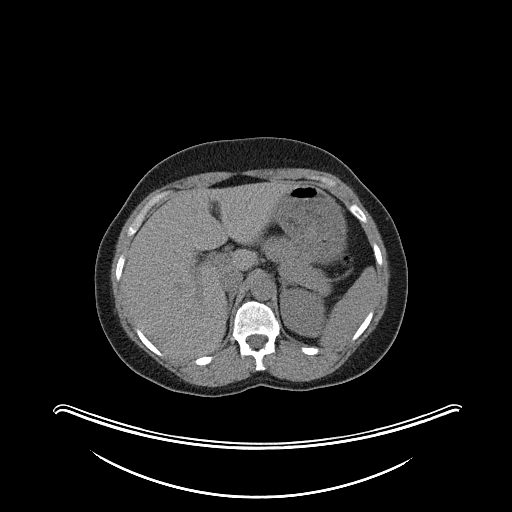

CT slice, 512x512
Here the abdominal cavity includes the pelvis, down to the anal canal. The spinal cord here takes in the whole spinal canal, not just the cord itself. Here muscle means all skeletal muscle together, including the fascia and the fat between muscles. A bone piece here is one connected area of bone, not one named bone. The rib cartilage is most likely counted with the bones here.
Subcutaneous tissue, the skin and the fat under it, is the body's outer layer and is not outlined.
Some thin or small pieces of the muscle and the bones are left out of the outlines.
Outlines (x, y in pixels):
mediastinum: [[258,274],[262,274],[267,278],[269,278],[269,281],[271,282],[271,287],[272,288],[272,301],[273,302],[273,307],[272,308],[271,308],[266,303],[254,299],[246,300],[244,301],[242,304],[240,303],[240,300],[248,286],[248,283],[255,275]]
spinal cord: [[254,334],[258,334],[259,335],[264,335],[266,337],[266,340],[265,341],[265,342],[263,344],[263,346],[262,346],[261,347],[260,347],[259,348],[252,348],[250,346],[250,345],[247,342],[247,337],[248,336],[249,336],[250,335],[253,335]]
muscle: [[284,167],[309,168],[331,173],[355,192],[376,224],[386,250],[389,280],[385,310],[370,334],[337,369],[329,374],[309,381],[292,381],[276,377],[266,371],[259,371],[266,369],[264,356],[276,352],[275,342],[281,331],[301,346],[302,353],[316,355],[320,351],[319,348],[337,346],[350,337],[355,341],[368,327],[378,299],[376,265],[381,266],[383,258],[380,247],[374,241],[370,243],[361,224],[368,221],[365,213],[354,202],[347,206],[328,188],[312,179],[271,179],[237,174],[206,186],[177,189],[169,194],[169,190],[158,192],[143,205],[127,227],[126,235],[132,237],[127,253],[125,255],[122,252],[118,256],[114,271],[115,279],[118,282],[121,278],[125,301],[137,326],[134,329],[138,338],[159,357],[163,357],[165,353],[176,358],[192,358],[198,366],[209,364],[214,357],[212,354],[223,348],[229,340],[235,341],[242,358],[253,357],[254,368],[257,371],[244,379],[221,386],[210,387],[186,382],[131,340],[120,323],[115,309],[110,272],[121,229],[135,207],[149,193],[167,183],[210,171]] with a hole at [[312,176],[324,176],[325,177],[327,177],[330,179],[332,179],[333,180],[334,180],[337,184],[336,185],[336,186],[334,186],[333,187],[332,187],[331,186],[328,186],[325,183],[324,183],[317,179],[313,179],[312,178],[311,178],[311,177]]
abdominal cavity: [[237,175],[312,180],[340,199],[360,222],[376,264],[377,299],[345,341],[318,347],[291,340],[272,309],[272,282],[262,273],[247,283],[233,316],[230,338],[211,355],[170,355],[136,324],[126,301],[122,272],[132,238],[146,216],[177,190],[206,187]]
torso: [[258,136],[295,139],[330,152],[383,204],[397,228],[407,262],[408,291],[401,325],[388,351],[372,368],[340,384],[307,391],[258,386],[218,397],[169,390],[130,369],[116,354],[101,327],[94,295],[94,266],[100,241],[137,182],[164,158],[203,142]]
bones 1: [[249,300],[266,304],[273,311],[280,325],[280,333],[275,338],[274,342],[275,352],[265,354],[262,358],[262,362],[265,367],[264,370],[256,370],[254,357],[252,355],[242,357],[238,343],[235,340],[230,340],[233,332],[233,321],[236,311],[244,302]]; inner edge: [[254,334],[258,334],[259,335],[264,335],[266,337],[266,340],[265,341],[265,342],[263,344],[263,346],[262,346],[261,347],[260,347],[259,348],[252,348],[250,346],[250,345],[247,342],[247,337],[248,336],[249,336],[250,335],[253,335]]
bones 2: [[164,191],[169,191],[167,195],[159,202],[154,204],[148,210],[145,215],[145,217],[141,222],[139,227],[137,229],[135,233],[132,236],[128,236],[127,235],[127,229],[128,227],[134,220],[134,219],[144,206],[144,205],[153,196],[158,193],[160,193]]
bones 3: [[136,327],[138,327],[141,330],[141,331],[144,334],[144,335],[162,353],[163,353],[163,356],[159,356],[158,355],[157,355],[154,352],[153,352],[150,349],[149,349],[142,342],[142,341],[139,338],[139,337],[136,332],[136,330],[135,329],[136,328]]
bones 4: [[369,311],[373,311],[373,315],[371,318],[371,320],[369,324],[363,331],[363,332],[355,340],[352,340],[351,338],[353,334],[356,331],[356,330],[359,327],[361,323],[364,320],[364,319],[366,317]]
bones 5: [[352,203],[354,203],[355,204],[356,204],[361,209],[361,210],[364,213],[364,214],[365,215],[365,216],[366,217],[366,218],[367,219],[367,221],[366,222],[361,222],[349,210],[349,209],[348,208],[348,206],[350,204],[351,204]]
bones 6: [[122,253],[124,254],[125,256],[125,261],[123,264],[123,267],[122,268],[122,271],[121,272],[121,277],[118,281],[116,279],[116,276],[115,275],[115,271],[116,270],[116,265],[117,264],[117,261],[118,260],[118,258],[119,256]]
bones 7: [[312,176],[324,176],[325,177],[327,177],[330,179],[332,179],[333,180],[334,180],[337,184],[336,185],[336,186],[334,186],[333,187],[332,187],[331,186],[328,186],[325,183],[324,183],[317,179],[313,179],[312,178],[311,178],[311,177]]
bones 8: [[374,242],[375,243],[376,243],[379,247],[379,249],[380,250],[380,252],[381,253],[381,257],[382,258],[382,264],[381,265],[379,265],[376,263],[376,260],[375,259],[375,256],[374,255],[374,252],[373,251],[373,249],[372,248],[372,243],[373,243]]